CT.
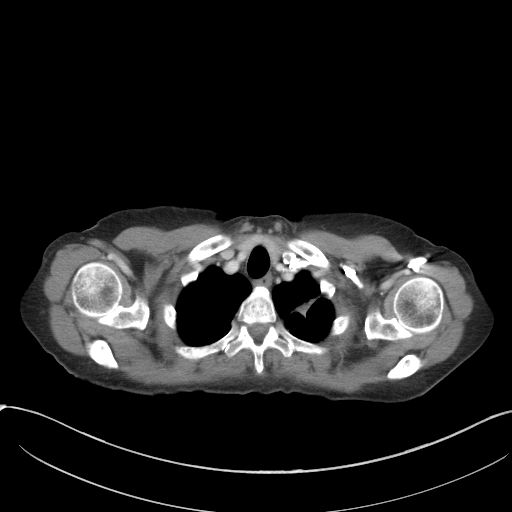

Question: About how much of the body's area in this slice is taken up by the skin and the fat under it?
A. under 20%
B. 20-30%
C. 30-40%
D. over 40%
Answer: B. 20-30%
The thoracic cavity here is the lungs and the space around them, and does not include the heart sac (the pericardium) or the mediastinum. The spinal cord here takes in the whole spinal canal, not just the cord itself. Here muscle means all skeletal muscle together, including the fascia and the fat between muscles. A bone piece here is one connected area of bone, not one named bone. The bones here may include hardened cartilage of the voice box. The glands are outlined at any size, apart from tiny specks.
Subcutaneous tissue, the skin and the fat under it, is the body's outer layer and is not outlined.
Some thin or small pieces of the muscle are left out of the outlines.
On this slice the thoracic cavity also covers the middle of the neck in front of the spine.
{"spinal_cord":[[[255,323],[260,323],[261,324],[266,324],[267,325],[267,330],[266,331],[266,333],[264,335],[262,339],[259,342],[257,342],[255,341],[255,340],[251,336],[249,332],[249,326]]],"muscle":[{"outer":[[244,220],[263,226],[281,220],[298,229],[314,228],[345,237],[376,234],[400,253],[449,262],[463,276],[474,300],[459,345],[445,360],[424,369],[420,369],[425,362],[419,356],[406,353],[386,373],[389,380],[366,384],[351,393],[272,377],[146,385],[115,370],[119,365],[105,339],[85,344],[91,359],[65,350],[50,330],[49,301],[42,287],[56,252],[64,245],[115,237],[131,226],[169,230],[216,223],[227,227]],"holes":[[[219,233],[232,243],[201,260],[202,271],[254,235],[266,236],[281,252],[292,251],[286,244],[291,238],[316,246],[330,263],[326,270],[295,256],[316,281],[325,278],[335,286],[334,315],[348,314],[348,327],[319,339],[327,348],[321,354],[294,351],[285,357],[267,348],[261,373],[247,348],[231,357],[221,350],[198,359],[178,354],[173,347],[186,344],[164,321],[163,306],[176,305],[181,275],[194,267],[188,253]],[[93,261],[106,264],[118,275],[122,285],[122,294],[119,301],[122,306],[130,306],[138,293],[146,299],[149,308],[149,317],[144,329],[141,330],[134,327],[116,328],[99,323],[94,318],[78,311],[72,298],[72,280],[76,271],[82,265]],[[420,276],[434,280],[440,286],[443,292],[444,306],[442,317],[439,324],[429,332],[415,334],[406,338],[396,340],[367,339],[364,330],[364,323],[368,311],[378,308],[381,315],[384,318],[392,318],[395,315],[393,311],[393,298],[398,288],[408,280]]]}],"torso":[[[161,204],[210,208],[225,218],[277,214],[294,220],[304,213],[362,211],[409,226],[397,240],[379,291],[420,366],[446,376],[423,395],[397,403],[294,392],[147,396],[77,379],[35,339],[103,319],[132,284],[133,270],[132,259],[95,222],[117,210]]],"thyroid_glands":[[[254,235],[266,236],[272,240],[277,246],[280,251],[280,253],[279,254],[279,257],[275,263],[273,263],[272,261],[272,257],[270,252],[266,246],[261,242],[254,244],[245,255],[243,255],[240,253],[238,249],[238,247],[240,244],[248,238]]],"right_arm":[[[92,225],[131,259],[131,269],[132,270],[132,282],[131,284],[102,319],[99,319],[92,322],[35,338],[25,327],[20,317],[18,309],[18,303],[22,292],[36,272],[40,264],[43,251],[51,241],[65,232],[73,230],[80,231],[88,228]]],"left_arm":[[[411,228],[417,234],[425,237],[433,243],[450,248],[461,255],[467,261],[474,274],[479,287],[491,305],[495,315],[495,321],[493,328],[485,342],[477,351],[447,376],[423,368],[421,366],[402,325],[380,291],[380,283],[382,276],[396,247],[398,240]]],"bones":[{"outer":[[255,286],[270,291],[277,315],[294,336],[326,347],[325,352],[294,351],[285,357],[278,349],[269,347],[263,353],[263,369],[257,373],[253,353],[247,348],[231,357],[221,350],[198,359],[185,358],[174,350],[175,345],[204,346],[224,336],[241,303]],"hole":[[255,323],[260,323],[261,324],[266,324],[267,325],[267,330],[266,331],[266,333],[264,335],[262,339],[259,342],[257,342],[255,341],[255,340],[251,336],[249,332],[249,326]]},[[93,261],[106,264],[118,275],[122,285],[122,294],[119,301],[122,306],[130,306],[138,293],[146,299],[149,308],[149,317],[144,329],[141,330],[134,327],[116,328],[99,323],[94,318],[78,311],[72,298],[72,280],[76,271],[82,265]],[[420,276],[434,280],[440,286],[443,292],[444,306],[442,317],[439,324],[429,332],[415,334],[406,338],[396,340],[367,339],[364,330],[364,323],[368,311],[378,308],[381,315],[384,318],[392,318],[395,315],[393,311],[393,298],[398,288],[408,280]],[[219,233],[224,233],[229,235],[232,239],[232,243],[228,247],[201,260],[199,262],[201,270],[197,278],[194,281],[190,282],[186,286],[183,287],[181,282],[181,275],[183,273],[192,270],[194,267],[189,263],[187,259],[188,253],[197,244],[203,240]],[[291,238],[300,238],[306,241],[308,241],[310,243],[316,246],[328,259],[330,263],[330,266],[329,268],[326,270],[321,269],[317,266],[310,263],[305,257],[302,256],[300,254],[294,253],[293,251],[289,249],[289,248],[286,244],[287,241]],[[95,339],[102,339],[103,340],[105,340],[108,343],[112,351],[112,353],[118,365],[118,367],[116,369],[113,369],[112,368],[107,368],[104,366],[102,366],[95,362],[90,357],[90,356],[87,352],[86,344],[88,342],[90,342]],[[406,354],[415,354],[424,362],[423,363],[423,365],[417,371],[416,371],[414,373],[407,377],[405,377],[402,379],[397,379],[396,380],[390,380],[388,379],[387,378],[387,373],[390,370],[390,369],[392,368],[395,365],[395,364],[404,355]],[[344,314],[348,314],[350,316],[350,321],[349,322],[349,325],[348,327],[342,333],[340,334],[337,334],[336,335],[330,335],[329,334],[329,332],[330,331],[330,328],[331,327],[331,325],[332,324],[333,320],[336,316],[339,316],[340,315],[343,315]],[[165,303],[170,303],[171,304],[172,304],[174,306],[174,307],[175,308],[175,310],[176,311],[176,329],[172,329],[170,327],[169,327],[166,324],[166,323],[164,321],[164,319],[163,318],[163,306],[164,305],[164,304]],[[322,278],[325,278],[327,280],[328,280],[330,282],[331,282],[335,286],[335,291],[333,294],[333,296],[332,297],[332,298],[330,300],[329,299],[328,299],[326,297],[325,297],[320,292],[320,286],[319,285],[319,282],[320,281],[320,280]]],"thoracic_cavity":[[[259,243],[265,246],[273,264],[281,252],[291,252],[313,275],[319,292],[333,306],[335,316],[328,333],[316,342],[294,335],[278,315],[271,291],[255,285],[224,335],[204,345],[186,344],[177,329],[175,307],[183,288],[226,250],[238,250],[245,256]]]}